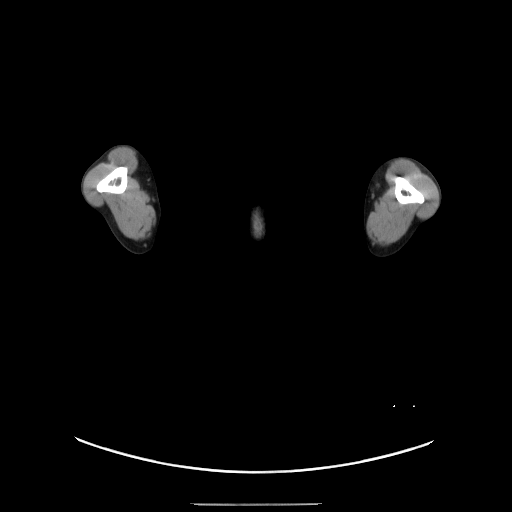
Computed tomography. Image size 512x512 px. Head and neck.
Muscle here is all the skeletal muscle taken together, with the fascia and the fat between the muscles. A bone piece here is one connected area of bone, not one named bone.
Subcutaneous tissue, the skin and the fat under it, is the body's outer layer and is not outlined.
Outlined structures:
right arm: [[120,143],[130,144],[137,148],[142,153],[151,167],[156,182],[159,203],[161,209],[160,223],[157,233],[157,237],[153,247],[149,251],[143,254],[135,254],[124,248],[115,238],[101,214],[86,203],[80,192],[81,178],[88,166],[108,148],[113,145]]
muscle 1: [[123,146],[132,148],[136,150],[138,153],[144,185],[154,198],[156,222],[153,226],[150,241],[145,246],[140,246],[128,241],[118,229],[113,218],[103,211],[101,208],[95,207],[90,204],[83,193],[83,182],[87,173],[97,164],[105,161],[110,151]] with a hole at [[117,166],[126,166],[127,167],[127,187],[126,188],[126,189],[122,193],[121,193],[120,194],[114,194],[113,193],[110,193],[109,192],[99,192],[96,189],[96,185],[97,184],[97,183],[104,176],[105,176],[109,172],[110,172],[115,167],[116,167]]
muscle 2: [[400,159],[405,159],[413,162],[425,174],[431,178],[437,187],[439,201],[435,211],[429,217],[423,221],[420,221],[412,225],[407,232],[395,243],[382,247],[373,244],[368,236],[366,228],[368,212],[375,195],[376,184],[383,173],[385,167],[389,163]]; inner edge: [[395,176],[401,176],[402,177],[403,177],[406,180],[407,180],[409,182],[410,182],[418,190],[421,191],[424,196],[424,201],[422,203],[409,203],[408,204],[400,204],[398,202],[398,201],[394,194],[394,186],[395,185],[395,183],[394,182],[394,177]]
muscle 3: [[257,211],[260,214],[261,217],[264,219],[264,222],[265,223],[265,229],[264,230],[263,235],[262,235],[261,236],[261,237],[255,237],[253,235],[253,234],[252,233],[252,226],[251,225],[252,224],[252,216],[253,215],[253,214],[255,212],[256,212]]
bones 1: [[117,166],[126,166],[127,167],[127,187],[126,188],[126,189],[122,193],[121,193],[120,194],[114,194],[113,193],[110,193],[109,192],[99,192],[96,189],[96,185],[97,184],[97,183],[104,176],[105,176],[109,172],[110,172],[115,167],[116,167]]
bones 2: [[395,176],[401,176],[402,177],[403,177],[406,180],[407,180],[409,182],[410,182],[418,190],[421,191],[424,196],[424,201],[422,203],[409,203],[408,204],[400,204],[398,202],[398,201],[394,194],[394,186],[395,185],[395,183],[394,182],[394,177]]
head and neck: [[258,210],[258,211],[260,212],[262,217],[264,219],[264,222],[265,223],[265,229],[264,230],[264,233],[261,237],[261,238],[259,239],[255,239],[253,237],[252,237],[252,236],[250,234],[250,228],[252,224],[252,216],[253,214]]
left arm: [[394,156],[408,156],[421,162],[429,169],[438,181],[441,189],[442,198],[441,204],[437,212],[431,218],[418,226],[411,238],[401,249],[389,256],[378,257],[373,255],[369,251],[364,237],[363,231],[364,199],[370,178],[374,171],[381,163]]